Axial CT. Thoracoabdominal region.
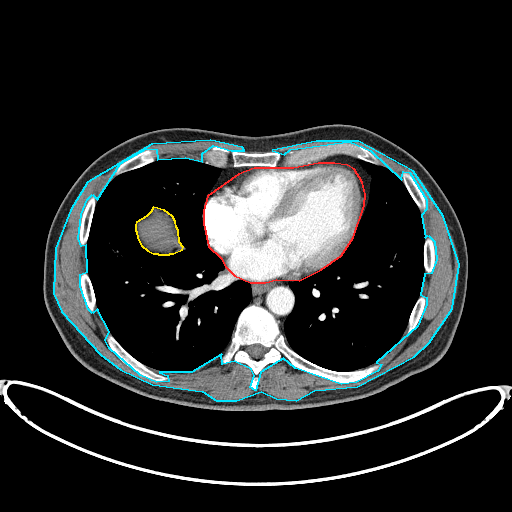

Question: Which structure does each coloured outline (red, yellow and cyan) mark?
Answer: red: pericardium; yellow: abdominal cavity; cyan: muscle.
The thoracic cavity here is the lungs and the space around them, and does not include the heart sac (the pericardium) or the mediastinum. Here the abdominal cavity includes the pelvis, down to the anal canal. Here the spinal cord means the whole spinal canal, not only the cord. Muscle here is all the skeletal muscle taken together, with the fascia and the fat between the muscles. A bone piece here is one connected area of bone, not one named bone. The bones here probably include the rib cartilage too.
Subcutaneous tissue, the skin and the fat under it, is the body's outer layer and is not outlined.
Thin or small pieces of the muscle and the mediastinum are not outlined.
{"pericardium":[[[250,282],[265,282],[276,279],[299,280],[321,269],[341,255],[353,237],[364,205],[365,194],[362,182],[354,169],[347,165],[334,163],[318,163],[293,168],[254,168],[238,174],[207,196],[203,210],[203,223],[208,246],[220,257],[225,266],[234,275]]],"abdominal_cavity":[[[158,254],[169,254],[170,253],[173,253],[182,249],[183,247],[179,242],[178,230],[176,227],[175,221],[172,216],[164,210],[153,207],[150,212],[146,216],[136,222],[135,224],[135,230],[136,231],[137,238],[141,245],[147,250],[153,253],[157,253]]],"muscle":[[[216,400],[236,400],[261,391],[276,398],[296,400],[314,390],[357,386],[414,356],[429,342],[452,308],[459,264],[443,216],[413,171],[358,141],[316,141],[272,150],[284,154],[290,149],[349,141],[370,150],[401,179],[403,171],[409,172],[426,199],[426,209],[421,215],[425,237],[428,235],[434,241],[436,259],[431,273],[424,274],[420,294],[426,297],[426,304],[417,326],[376,362],[381,364],[377,371],[356,382],[341,384],[295,368],[283,358],[260,372],[255,390],[250,387],[254,375],[251,369],[234,361],[222,364],[221,354],[191,372],[159,372],[167,375],[168,381],[156,382],[140,375],[109,348],[105,340],[109,331],[97,309],[92,313],[88,309],[80,286],[80,274],[87,271],[86,245],[81,246],[78,238],[81,214],[87,199],[92,194],[97,199],[120,163],[146,148],[156,149],[157,159],[185,157],[202,161],[202,153],[213,145],[231,150],[244,150],[242,147],[210,140],[151,144],[87,182],[70,210],[55,248],[53,293],[61,311],[100,354],[120,369],[152,384],[202,391]]],"thoracic_cavity":[{"outer":[[169,373],[191,371],[221,353],[230,341],[239,313],[251,299],[249,282],[234,276],[206,242],[202,223],[203,205],[206,195],[221,169],[185,158],[159,159],[113,178],[97,200],[87,243],[87,269],[96,296],[97,308],[108,329],[138,360],[153,369]],"hole":[[158,254],[169,254],[170,253],[173,253],[182,249],[183,247],[179,242],[178,230],[176,227],[175,221],[172,216],[164,210],[153,207],[150,212],[146,216],[136,222],[135,224],[135,230],[136,231],[137,238],[141,245],[147,250],[153,253],[157,253]]},[[338,371],[353,370],[374,363],[397,343],[419,295],[424,273],[424,232],[419,210],[401,180],[393,172],[363,161],[362,165],[371,175],[370,194],[354,237],[342,255],[331,264],[290,283],[296,303],[285,321],[282,332],[289,345],[302,356],[323,367]]],"mediastinum":[[[282,331],[284,321],[293,309],[295,303],[295,297],[294,294],[289,287],[289,283],[292,281],[276,280],[275,281],[271,281],[265,283],[250,283],[252,289],[252,299],[249,304],[254,303],[255,304],[261,305],[266,308],[279,322],[279,325]],[[363,213],[367,203],[368,195],[369,194],[370,175],[361,165],[361,162],[362,161],[348,156],[333,156],[324,160],[313,163],[317,163],[318,162],[343,163],[344,164],[347,164],[349,166],[354,168],[361,177],[366,194],[365,197],[365,205],[364,206]],[[209,193],[210,193],[216,187],[219,186],[224,182],[227,181],[229,179],[230,179],[238,173],[239,173],[244,170],[253,168],[224,168],[223,169],[222,169],[219,176],[217,178],[217,180],[216,181],[216,182],[214,184],[212,189],[209,192]]],"spinal_cord":[[[256,359],[261,358],[263,356],[263,355],[266,352],[266,351],[267,350],[267,349],[265,347],[262,346],[260,344],[253,344],[252,345],[250,345],[248,347],[248,348],[247,349],[247,350],[248,351],[249,354],[251,356],[251,357],[252,358],[255,358]]],"torso":[[[228,411],[302,409],[363,398],[429,368],[447,351],[467,289],[465,237],[440,186],[415,157],[397,144],[371,130],[349,124],[325,124],[264,136],[163,128],[133,136],[98,156],[64,196],[46,239],[43,295],[47,311],[72,355],[90,371],[138,394]]],"bones":[{"outer":[[254,389],[259,382],[259,372],[267,364],[283,357],[295,367],[341,383],[361,379],[377,370],[380,364],[345,372],[314,364],[288,345],[278,322],[266,309],[252,304],[240,313],[231,341],[220,361],[228,363],[234,360],[247,364],[255,375],[251,380]],"hole":[[256,359],[261,358],[263,356],[263,355],[266,352],[266,351],[267,350],[267,349],[265,347],[262,346],[260,344],[253,344],[252,345],[250,345],[248,347],[248,348],[247,349],[247,350],[248,351],[249,354],[251,356],[251,357],[252,358],[255,358]]},[[221,168],[228,165],[233,167],[276,167],[280,164],[284,166],[297,166],[309,164],[335,154],[351,155],[377,165],[383,166],[383,163],[361,145],[338,142],[299,150],[290,150],[284,155],[278,151],[231,151],[224,147],[213,146],[203,153],[203,161]],[[156,381],[163,381],[164,380],[168,380],[169,378],[167,376],[163,375],[158,372],[156,372],[154,370],[147,367],[134,358],[120,345],[120,344],[110,333],[106,335],[106,340],[108,345],[114,352],[114,353],[126,365],[135,371],[138,372],[140,374]],[[116,176],[126,171],[129,171],[130,170],[138,168],[143,165],[145,165],[150,162],[154,161],[158,156],[158,152],[156,150],[154,150],[153,149],[146,149],[138,153],[136,155],[133,156],[131,158],[123,162],[117,167],[117,168],[114,172],[114,174]],[[81,245],[85,245],[87,242],[87,239],[89,234],[89,228],[91,224],[91,219],[93,215],[93,212],[96,203],[96,197],[94,195],[92,195],[88,199],[82,214],[81,224],[80,225],[80,232],[79,233],[79,238],[80,239],[80,243]],[[420,211],[422,211],[425,209],[425,199],[424,198],[423,193],[419,185],[414,179],[414,178],[409,173],[406,173],[405,172],[403,172],[402,173],[402,180],[408,192],[410,194],[411,197],[413,199],[414,202],[416,204],[416,205],[418,207]],[[405,335],[408,335],[412,332],[421,316],[421,314],[422,313],[422,311],[425,304],[425,297],[423,295],[420,295],[419,296],[413,307],[413,309],[410,314],[410,316],[408,320],[408,324],[407,325],[407,327],[404,331],[404,333],[403,334]],[[92,312],[96,309],[96,305],[95,304],[95,296],[93,292],[92,285],[91,284],[90,279],[88,276],[88,274],[87,272],[83,272],[81,274],[81,286],[82,287],[82,291],[83,292],[83,295],[85,298],[86,303],[89,309]],[[425,273],[430,273],[430,272],[433,268],[433,265],[434,264],[434,260],[435,259],[435,251],[434,250],[434,245],[433,244],[433,241],[432,240],[432,239],[428,236],[425,238],[425,241],[424,242],[424,270],[425,271]]]}